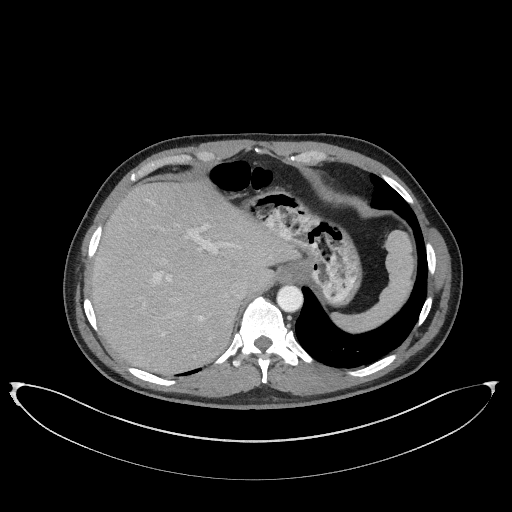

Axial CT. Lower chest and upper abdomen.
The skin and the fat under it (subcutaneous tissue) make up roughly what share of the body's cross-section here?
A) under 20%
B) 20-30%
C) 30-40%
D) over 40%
Answer: A) under 20%
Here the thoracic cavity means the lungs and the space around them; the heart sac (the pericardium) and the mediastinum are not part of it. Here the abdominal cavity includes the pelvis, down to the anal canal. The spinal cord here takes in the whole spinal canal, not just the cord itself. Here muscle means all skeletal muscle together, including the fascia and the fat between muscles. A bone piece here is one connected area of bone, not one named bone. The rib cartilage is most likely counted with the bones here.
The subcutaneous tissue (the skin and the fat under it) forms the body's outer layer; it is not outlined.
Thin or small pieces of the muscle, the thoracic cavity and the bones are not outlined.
The torso is outlined by (236, 410) (304, 407) (373, 391) (417, 371) (447, 338) (458, 311) (463, 285) (458, 244) (418, 181) (382, 147) (361, 138) (324, 132) (177, 136) (153, 143) (120, 163) (104, 180) (87, 207) (68, 248) (62, 283) (67, 323) (82, 353) (110, 381) (136, 393) (169, 402). The abdominal cavity is outlined by (163, 377) (213, 361) (229, 345) (247, 304) (286, 277) (308, 287) (341, 330) (358, 334) (379, 327) (407, 301) (415, 281) (417, 252) (409, 224) (393, 210) (334, 191) (309, 166) (253, 150) (211, 162) (164, 166) (134, 182) (104, 225) (90, 270) (90, 299) (114, 353). The bones appear in 10 outlined pieces: piece 1: (263, 383) (267, 382) (267, 367) (273, 354) (291, 365) (296, 365) (299, 357) (308, 363) (314, 359) (298, 343) (293, 330) (285, 324) (280, 310) (259, 296) (246, 307) (238, 331) (214, 364) (222, 363) (234, 356) (232, 364) (238, 366) (243, 357) (253, 354) (261, 368) with a hole at (261, 350) (264, 350) (265, 349) (266, 349) (271, 344) (271, 341) (270, 340) (270, 339) (269, 339) (267, 337) (266, 337) (265, 336) (261, 336) (260, 337) (259, 337) (257, 339) (256, 339) (255, 340) (255, 341) (254, 342) (254, 344) (258, 348) (259, 348); piece 2: (133, 182) (155, 169) (164, 165) (187, 163) (194, 158) (196, 158) (201, 161) (211, 161) (214, 159) (218, 159) (213, 153) (207, 151) (199, 151) (196, 152) (193, 155) (190, 154) (179, 154) (178, 155) (166, 156) (150, 161) (135, 172) (133, 172) (130, 176) (130, 180); piece 3: (352, 376) (364, 376) (365, 375) (368, 375) (371, 373) (373, 373) (388, 365) (392, 361) (393, 361) (393, 360) (396, 357) (396, 355) (394, 353) (388, 354) (386, 356) (379, 359) (377, 361) (367, 366) (365, 366) (362, 368) (359, 368) (355, 370) (348, 370) (346, 372); piece 4: (307, 164) (315, 164) (320, 161) (323, 161) (326, 159) (326, 155) (323, 152) (321, 152) (317, 150) (310, 150) (309, 151) (305, 151) (304, 152) (302, 152) (295, 155) (292, 155) (289, 158) (289, 159) (291, 161) (295, 161) (296, 162) (302, 162) (303, 163) (306, 163); piece 5: (162, 385) (171, 385) (172, 384) (174, 384) (175, 383) (175, 381) (172, 379) (163, 378) (162, 377) (157, 376) (154, 374) (146, 372) (143, 370) (141, 370) (131, 366) (128, 367) (127, 369) (132, 374) (143, 380) (149, 381) (150, 382) (156, 383) (157, 384) (161, 384); piece 6: (409, 204) (412, 204) (413, 203) (413, 200) (412, 199) (412, 198) (410, 196) (410, 195) (406, 191) (406, 190) (399, 183) (398, 183) (393, 178) (392, 178) (390, 176) (389, 176) (388, 175) (387, 175) (384, 173) (381, 173) (380, 174) (380, 176) (389, 185) (390, 185); piece 7: (97, 332) (98, 332) (98, 327) (96, 323) (96, 320) (95, 319) (95, 314) (93, 311) (93, 308) (91, 305) (91, 302) (90, 300) (87, 297) (85, 297) (83, 299) (83, 307) (84, 308) (84, 311) (85, 312) (85, 314) (91, 326) (94, 329) (94, 330); piece 8: (90, 258) (93, 256) (95, 252) (95, 250) (97, 247) (98, 242) (99, 241) (99, 238) (100, 237) (100, 235) (101, 234) (101, 231) (102, 230) (102, 226) (100, 224) (97, 226) (97, 227) (93, 232) (91, 236) (90, 241) (89, 242) (89, 247) (88, 248) (88, 256); piece 9: (429, 274) (433, 274) (434, 273) (434, 270) (435, 269) (435, 253) (434, 252) (434, 250) (433, 249) (433, 247) (432, 246) (432, 245) (429, 242) (426, 242) (425, 243) (425, 247) (426, 248) (426, 254) (427, 255) (427, 264) (428, 265) (428, 273); piece 10: (416, 327) (417, 326) (419, 326) (421, 325) (421, 324) (426, 318) (430, 310) (430, 308) (431, 307) (431, 304) (432, 303) (432, 297) (430, 295) (426, 297) (426, 299) (423, 304) (423, 306) (419, 314) (419, 316) (418, 317) (418, 320) (415, 324) (415, 326). The muscle is outlined by (206, 397) (222, 397) (223, 396) (227, 396) (234, 393) (248, 391) (255, 387) (259, 387) (263, 385) (283, 391) (292, 395) (301, 395) (302, 396) (325, 393) (326, 392) (330, 392) (339, 389) (351, 387) (361, 383) (370, 381) (386, 374) (403, 363) (408, 358) (423, 348) (436, 335) (444, 321) (445, 315) (448, 308) (448, 300) (450, 296) (450, 287) (451, 286) (451, 260) (450, 256) (446, 244) (442, 236) (422, 209) (422, 206) (419, 201) (406, 184) (387, 166) (381, 162) (368, 156) (366, 156) (359, 152) (324, 142) (318, 142) (317, 141) (265, 141) (264, 140) (253, 140) (252, 139) (231, 139) (230, 140) (219, 140) (218, 141) (203, 142) (197, 145) (190, 145) (185, 147) (176, 147) (155, 153) (144, 159) (135, 167) (126, 173) (114, 187) (98, 210) (92, 224) (87, 230) (84, 236) (81, 244) (81, 247) (79, 248) (78, 252) (78, 257) (76, 261) (76, 267) (75, 268) (75, 296) (74, 299) (75, 300) (76, 322) (80, 334) (88, 347) (103, 363) (133, 383) (135, 383) (142, 387) (150, 388) (154, 390) (159, 390) (164, 392) (187, 393) (188, 394) (199, 395); inner edge: (162, 385) (175, 383) (167, 377) (191, 374) (230, 356) (238, 366) (250, 354) (257, 357) (263, 383) (267, 382) (273, 354) (291, 365) (300, 357) (308, 363) (316, 359) (335, 367) (358, 367) (346, 372) (352, 376) (368, 375) (388, 365) (396, 357) (389, 353) (414, 325) (421, 325) (432, 303) (432, 297) (426, 295) (426, 280) (428, 273) (434, 273) (435, 253) (432, 245) (423, 241) (409, 206) (413, 203) (410, 195) (384, 173) (377, 176) (349, 164) (324, 162) (326, 155) (317, 150) (292, 155) (290, 162) (259, 147) (219, 160) (211, 152) (199, 151) (159, 158) (133, 172) (130, 180) (134, 183) (114, 206) (104, 227) (98, 225) (91, 236) (90, 298) (83, 299) (83, 307) (91, 326) (130, 364) (127, 369) (132, 374). The mediastinum appears in 2 outlined pieces: piece 1: (369, 204) (371, 204) (370, 197) (373, 189) (372, 183) (369, 178) (370, 174) (369, 172) (355, 166) (339, 162) (324, 162) (322, 165) (319, 166) (310, 166) (310, 167) (315, 169) (322, 178) (325, 180) (328, 185) (334, 190) (358, 195) (362, 199) (367, 201); piece 2: (291, 328) (292, 327) (293, 328) (294, 326) (295, 321) (299, 315) (303, 303) (303, 294) (301, 290) (303, 285) (295, 280) (286, 278) (274, 282) (274, 283) (272, 284) (262, 295) (275, 304) (281, 310) (285, 319) (286, 324) (289, 324) (291, 326) (290, 327). The spinal cord is outlined by (261, 350) (264, 350) (265, 349) (266, 349) (271, 344) (271, 341) (270, 340) (270, 339) (269, 339) (267, 337) (266, 337) (265, 336) (261, 336) (260, 337) (259, 337) (257, 339) (256, 339) (255, 340) (255, 341) (254, 342) (254, 344) (258, 348) (259, 348). The thoracic cavity is outlined by (344, 368) (367, 365) (398, 346) (416, 322) (426, 296) (426, 255) (416, 217) (409, 205) (372, 173) (372, 206) (393, 209) (410, 224) (418, 271) (411, 295) (400, 311) (379, 328) (358, 335) (334, 326) (311, 291) (303, 287) (304, 303) (293, 329) (297, 340) (315, 359).